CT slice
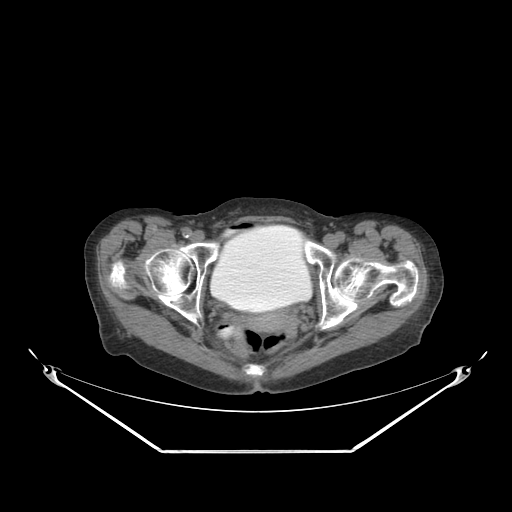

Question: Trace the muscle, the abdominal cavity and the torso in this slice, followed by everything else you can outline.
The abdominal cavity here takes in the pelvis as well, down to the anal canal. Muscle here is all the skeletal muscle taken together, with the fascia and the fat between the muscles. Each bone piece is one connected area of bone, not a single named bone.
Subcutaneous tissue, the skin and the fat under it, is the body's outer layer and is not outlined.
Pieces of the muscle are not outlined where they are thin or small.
Answer: The muscle is outlined by [[138,215],[158,215],[179,222],[191,229],[206,228],[221,219],[228,220],[246,215],[283,215],[296,220],[309,221],[316,228],[321,230],[330,230],[367,219],[380,222],[388,221],[408,231],[420,243],[422,257],[428,273],[428,291],[421,306],[406,323],[387,337],[375,343],[344,353],[290,378],[276,382],[259,381],[256,383],[239,383],[149,346],[137,337],[129,337],[126,330],[110,309],[98,282],[96,245],[119,221]]; inner edges: [[240,222],[297,226],[339,262],[410,260],[417,291],[396,307],[389,297],[397,287],[383,284],[341,323],[315,324],[261,362],[262,375],[249,375],[244,369],[254,362],[214,337],[203,313],[196,325],[165,305],[143,268],[160,249],[215,241],[220,228]], then [[118,259],[122,259],[127,264],[128,264],[128,266],[126,269],[126,273],[125,274],[125,279],[128,285],[128,288],[126,289],[123,289],[122,290],[120,290],[117,288],[115,288],[113,287],[111,285],[108,279],[108,276],[111,270],[111,264],[112,262]]. The abdominal cavity is outlined by [[240,222],[279,222],[301,228],[306,236],[303,241],[303,251],[307,262],[313,265],[311,266],[315,279],[317,321],[313,328],[303,337],[260,363],[248,361],[225,347],[207,329],[203,313],[203,300],[210,264],[219,255],[220,243],[216,240],[218,230]]. The torso is outlined by [[241,196],[285,198],[331,216],[378,211],[419,223],[437,245],[444,274],[441,299],[420,343],[389,360],[311,387],[245,396],[204,391],[142,367],[126,355],[107,353],[84,279],[83,247],[91,230],[121,208],[160,207],[178,214],[195,214]]. The bones appear in 4 outlined pieces: piece 1: [[306,238],[333,251],[339,262],[350,257],[385,265],[412,261],[418,270],[418,286],[414,297],[401,306],[393,306],[389,297],[397,287],[391,283],[383,284],[369,298],[360,302],[341,323],[320,330],[316,327],[322,315],[319,266],[308,262],[306,258]]; piece 2: [[210,241],[217,241],[219,243],[218,255],[216,259],[211,262],[206,268],[206,273],[201,287],[199,299],[199,309],[202,317],[198,320],[198,325],[196,325],[176,310],[165,305],[157,297],[144,271],[143,263],[147,258],[160,249],[176,249],[190,243]]; piece 3: [[118,259],[122,259],[127,264],[128,264],[128,266],[126,269],[126,273],[125,274],[125,279],[128,285],[128,288],[126,289],[123,289],[122,290],[120,290],[117,288],[115,288],[113,287],[111,285],[108,279],[108,276],[111,270],[111,264],[112,262]]; piece 4: [[248,363],[256,363],[257,364],[261,364],[262,365],[263,365],[264,366],[264,372],[263,373],[263,374],[260,376],[253,376],[252,375],[249,375],[248,374],[247,374],[246,373],[245,373],[245,372],[244,371],[244,369],[246,367],[246,366]].